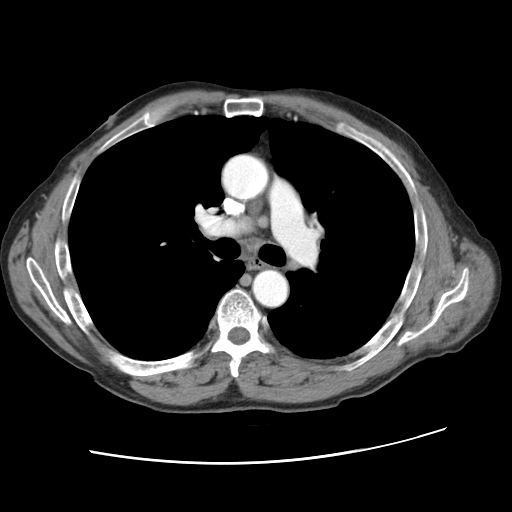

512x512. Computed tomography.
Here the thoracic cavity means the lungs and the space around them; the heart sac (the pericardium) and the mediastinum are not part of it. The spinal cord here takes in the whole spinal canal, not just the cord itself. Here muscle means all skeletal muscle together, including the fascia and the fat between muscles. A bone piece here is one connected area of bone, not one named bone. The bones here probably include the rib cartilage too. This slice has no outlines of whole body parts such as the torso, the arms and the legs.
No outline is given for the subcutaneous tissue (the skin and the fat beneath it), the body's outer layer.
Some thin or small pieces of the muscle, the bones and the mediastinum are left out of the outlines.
Outlined structures:
mediastinum: 267,129 273,167 300,193 308,216 308,231 296,267 285,274 289,283 286,301 264,314 247,291 234,287 244,272 243,262 236,259 219,260 216,243 222,217 220,206 224,199 222,167 233,156 249,150
muscle 1: 187,89 221,90 241,96 226,97 222,113 195,110 163,120 175,102 146,110 95,151 82,177 74,173 62,202 60,218 63,224 68,223 67,240 56,237 54,261 61,281 65,283 70,276 78,289 65,285 63,298 73,320 87,336 91,336 90,329 97,330 113,347 103,349 108,361 119,371 130,376 152,376 189,369 209,351 228,354 229,373 236,378 242,359 249,353 276,351 268,337 271,332 280,344 304,358 355,357 335,367 349,372 381,351 404,323 422,277 422,261 428,248 426,214 411,175 371,135 344,121 338,121 332,130 294,113 265,112 264,99 251,95 256,94 297,93 316,98 347,111 399,144 416,162 451,223 484,249 493,262 495,289 483,316 463,338 451,345 426,349 348,391 301,403 249,399 233,382 222,393 194,404 165,404 102,375 65,351 19,305 7,266 11,244 25,219 44,202 77,154 154,99; inner edges: 465,267 468,268 469,272 468,273 468,288 464,298 460,301 453,302 449,304 442,311 435,323 431,327 418,336 398,346 397,345 398,341 406,331 416,331 429,321 442,294 449,290 457,283 461,276 462,271, then 27,257 31,257 33,258 37,262 41,268 45,277 49,283 51,290 56,300 60,306 68,314 70,319 72,321 72,323 71,324 69,325 63,322 52,311 43,297 42,294 32,282 26,267 26,259
muscle 2: 207,332 207,333 208,334 208,338 207,339 207,340 203,344 203,345 202,346 202,347 201,348 201,349 200,350 197,350 196,349 195,349 194,348 192,348 198,342 199,342 205,336 205,335 206,334 206,333
spinal cord: 238,327 240,327 241,328 244,328 248,332 249,334 249,337 248,339 246,341 242,343 240,343 239,344 234,343 232,341 231,341 228,337 228,334 229,332 232,329 234,328 237,328
bones 1: 236,287 247,292 266,315 267,337 275,348 271,353 249,352 241,359 236,377 230,373 231,356 224,351 207,350 189,368 152,375 130,375 109,361 104,347 144,361 200,351 209,338 208,325 220,299; inner edge: 238,327 240,327 241,328 244,328 248,332 249,334 249,337 248,339 246,341 242,343 240,343 239,344 234,343 232,341 231,341 228,337 228,334 229,332 232,329 234,328 237,328
bones 2: 338,122 371,136 397,158 413,181 427,226 421,277 402,325 381,350 349,371 336,367 353,360 355,356 346,356 366,343 399,308 394,306 411,264 421,260 415,251 413,203 401,179 367,146 336,132
bones 3: 465,267 468,268 469,272 468,273 468,288 464,298 460,301 453,302 449,304 442,311 435,323 431,327 418,336 398,346 397,345 398,341 406,331 416,331 429,321 442,294 449,290 457,283 461,276 462,271
bones 4: 170,103 175,103 175,105 171,111 163,118 162,121 154,126 148,127 145,129 140,130 122,139 98,155 96,156 95,155 96,151 107,140 141,116 146,111 151,110 158,106 164,104 169,104
bones 5: 27,257 31,257 33,258 37,262 41,268 45,277 49,283 51,290 56,300 60,306 68,314 70,319 72,321 72,323 71,324 69,325 63,322 52,311 43,297 42,294 32,282 26,267 26,259
bones 6: 247,96 259,96 263,99 264,107 265,108 264,109 264,112 262,115 260,116 254,116 253,115 243,114 242,115 236,115 232,117 226,117 223,114 222,106 223,105 223,102 226,98 239,98 240,97 246,97
bones 7: 65,286 72,286 78,291 80,297 83,302 83,304 96,328 96,330 93,330 90,328 89,329 90,336 87,335 79,327 71,315 71,313 68,308 68,306 66,303 63,294 63,289
bones 8: 57,237 60,237 66,239 67,241 67,245 69,251 69,257 70,258 71,267 74,276 74,278 73,278 69,275 66,278 66,281 65,282 62,281 59,276 57,270 57,267 56,266 56,262 55,261 55,242
bones 9: 75,173 78,173 79,174 81,177 81,180 80,181 79,187 75,197 75,200 71,210 71,214 70,215 69,220 67,223 63,223 61,218 63,202 64,201 65,195 67,192 67,190 70,185 71,180
thoracic cavity: 195,111 312,121 364,145 400,179 413,258 389,317 362,345 304,357 271,331 267,315 290,295 286,274 309,216 274,167 267,128 220,170 215,256 244,269 204,336 144,360 97,329 68,245 82,178 115,144